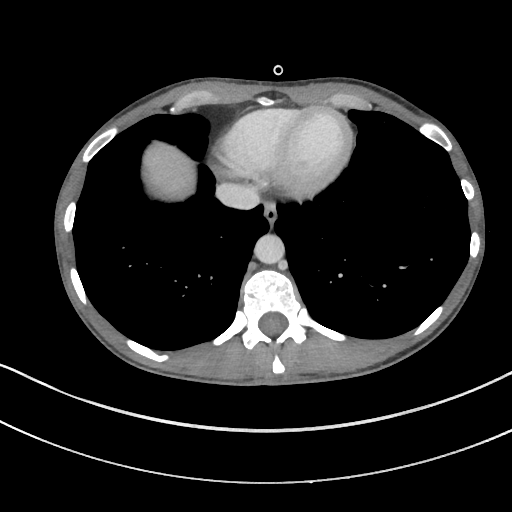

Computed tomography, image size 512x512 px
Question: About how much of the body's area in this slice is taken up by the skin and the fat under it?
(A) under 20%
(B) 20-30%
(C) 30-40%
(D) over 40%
Answer: (A) under 20%
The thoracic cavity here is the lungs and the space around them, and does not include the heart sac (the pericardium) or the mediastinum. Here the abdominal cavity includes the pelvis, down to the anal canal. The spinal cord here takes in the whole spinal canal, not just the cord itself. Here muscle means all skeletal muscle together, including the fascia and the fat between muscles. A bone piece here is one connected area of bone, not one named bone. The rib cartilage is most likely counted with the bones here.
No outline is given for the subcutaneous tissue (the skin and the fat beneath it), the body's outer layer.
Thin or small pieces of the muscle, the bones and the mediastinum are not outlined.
{"mediastinum":[[[241,301],[245,280],[264,268],[287,275],[298,299],[284,244],[273,227],[278,216],[276,205],[291,202],[263,195],[240,184],[221,182],[212,172],[215,178],[214,195],[224,205],[248,210],[261,204],[269,224],[268,230],[254,245],[241,283]],[[208,146],[216,136],[232,119],[232,118],[238,113],[252,105],[260,105],[253,101],[246,101],[245,102],[242,102],[237,104],[207,104],[206,105],[196,106],[193,108],[188,109],[187,110],[186,110],[181,113],[179,113],[184,113],[185,112],[193,112],[194,113],[200,114],[207,120],[208,122]]],"bones":[{"outer":[[248,349],[259,341],[275,349],[288,337],[300,343],[306,338],[307,327],[334,340],[345,340],[348,336],[315,321],[296,298],[287,276],[275,270],[264,269],[246,280],[242,306],[237,309],[231,324],[211,340],[212,344],[218,345],[242,331],[242,340]],"hole":[[272,338],[275,338],[278,335],[279,335],[282,332],[282,331],[287,326],[287,320],[286,319],[286,318],[282,314],[281,314],[278,312],[268,312],[267,313],[264,314],[259,320],[259,327],[260,328],[260,329],[265,334],[266,334],[268,336],[269,336]]},[[170,113],[178,113],[179,112],[181,112],[184,109],[188,108],[194,105],[200,105],[201,104],[206,104],[207,103],[213,103],[218,99],[218,97],[216,96],[212,92],[208,90],[194,90],[191,92],[185,93],[181,96],[180,96],[168,108],[168,111]],[[369,110],[373,108],[373,105],[370,102],[363,99],[361,97],[359,97],[356,95],[353,95],[352,94],[345,94],[344,93],[336,93],[335,94],[331,95],[327,100],[333,105],[335,105],[338,107],[345,107],[346,108],[357,108],[358,109],[368,109]],[[85,163],[87,163],[91,159],[91,158],[101,148],[102,148],[110,140],[111,140],[115,136],[116,134],[117,134],[118,132],[118,129],[116,126],[112,126],[106,129],[101,133],[100,133],[88,145],[88,146],[85,149],[82,155],[82,161]],[[448,152],[451,150],[452,148],[452,146],[451,145],[451,143],[448,137],[446,135],[444,131],[436,123],[434,123],[433,122],[424,122],[422,123],[419,126],[418,128],[418,130],[426,137],[427,137],[429,139],[432,140],[434,142],[440,145],[446,151]],[[160,362],[161,361],[164,361],[168,358],[168,356],[166,354],[159,354],[154,350],[146,346],[144,346],[127,337],[125,338],[125,342],[131,349],[132,349],[134,351],[148,358],[150,358],[153,360],[155,360],[156,361],[159,361]],[[84,304],[88,303],[89,302],[89,300],[87,298],[87,296],[85,293],[85,291],[81,283],[81,281],[78,275],[76,267],[75,266],[71,266],[70,267],[70,277],[71,278],[71,281],[73,284],[73,286],[75,289],[75,291],[78,297]],[[414,335],[416,335],[417,334],[422,332],[425,329],[426,329],[433,322],[434,322],[438,318],[438,317],[440,315],[440,314],[442,312],[442,311],[443,310],[443,305],[442,304],[441,304],[439,306],[438,306],[421,323],[420,323],[413,330],[413,334]],[[66,232],[71,232],[72,231],[72,227],[73,226],[73,221],[74,220],[74,215],[75,214],[75,209],[76,208],[76,202],[73,200],[72,200],[67,205],[67,206],[65,209],[65,214],[64,215],[64,228],[65,229],[65,230],[66,231]]],"torso":[[[229,386],[316,383],[373,373],[428,345],[457,316],[484,258],[485,211],[475,173],[458,140],[441,120],[384,86],[354,77],[264,80],[195,76],[163,85],[128,103],[82,144],[59,187],[52,221],[58,272],[74,311],[106,349],[138,369],[180,380]]],"muscle":[{"outer":[[249,381],[341,373],[373,365],[424,338],[456,306],[479,259],[482,247],[482,215],[475,182],[455,142],[441,126],[453,146],[448,153],[457,175],[474,187],[468,219],[471,231],[477,230],[480,234],[481,241],[480,242],[478,255],[468,259],[443,302],[443,312],[426,330],[416,336],[412,329],[376,340],[349,336],[341,342],[307,328],[305,341],[297,344],[288,338],[275,350],[263,342],[246,349],[241,332],[218,346],[208,341],[177,351],[155,350],[169,356],[160,363],[131,350],[125,336],[90,302],[84,305],[79,300],[70,281],[75,253],[72,232],[63,228],[63,215],[82,188],[87,166],[81,161],[84,148],[63,188],[57,214],[64,276],[78,308],[109,343],[142,364],[180,374]],"hole":[[274,373],[282,373],[284,371],[284,370],[285,369],[285,368],[284,367],[284,366],[283,365],[283,364],[280,361],[280,360],[279,359],[279,357],[278,356],[278,355],[276,353],[274,353],[274,356],[273,357],[273,362],[272,363],[272,370]]},[[90,142],[112,125],[116,125],[119,132],[145,116],[168,112],[167,108],[180,95],[194,89],[212,91],[219,97],[214,103],[237,103],[252,100],[260,94],[277,98],[279,101],[293,101],[299,104],[329,103],[326,100],[333,93],[352,93],[370,101],[374,105],[373,109],[391,113],[417,129],[424,121],[436,122],[414,113],[378,92],[355,84],[325,82],[304,86],[266,86],[202,81],[172,88],[134,107],[112,120]]],"thoracic_cavity":[[[374,339],[392,337],[415,327],[442,303],[468,258],[467,201],[448,154],[440,146],[391,114],[350,109],[348,116],[358,126],[358,134],[348,166],[312,201],[300,205],[295,202],[278,204],[279,216],[274,227],[285,244],[299,300],[310,315],[347,335]],{"outer":[[160,350],[177,350],[210,340],[230,324],[241,306],[240,283],[253,245],[268,228],[261,205],[248,211],[236,210],[213,195],[214,178],[201,162],[207,122],[193,113],[150,115],[118,133],[101,149],[88,163],[73,227],[76,266],[92,304],[126,336]],"hole":[[164,203],[174,203],[184,201],[195,193],[197,187],[197,177],[198,176],[197,175],[197,165],[198,164],[197,163],[198,162],[190,158],[187,154],[172,144],[169,144],[167,142],[160,140],[151,140],[144,148],[141,156],[139,172],[142,190],[148,199]]}],"abdominal_cavity":[[[164,203],[174,203],[184,201],[195,193],[197,187],[197,177],[198,176],[197,175],[197,165],[198,164],[197,163],[198,162],[190,158],[187,154],[172,144],[169,144],[167,142],[160,140],[151,140],[144,148],[141,156],[139,172],[142,190],[148,199]]],"spinal_cord":[[[272,338],[275,338],[278,335],[279,335],[282,332],[282,331],[287,326],[287,320],[286,319],[286,318],[282,314],[281,314],[278,312],[268,312],[267,313],[264,314],[259,320],[259,327],[260,328],[260,329],[265,334],[266,334],[268,336],[269,336]]],"pericardium":[[[300,204],[312,200],[325,189],[337,178],[349,162],[355,147],[356,131],[353,124],[339,108],[326,103],[299,105],[293,102],[278,102],[270,106],[252,106],[233,118],[210,145],[208,147],[207,145],[206,162],[216,178],[221,181],[240,183],[263,194]]]}